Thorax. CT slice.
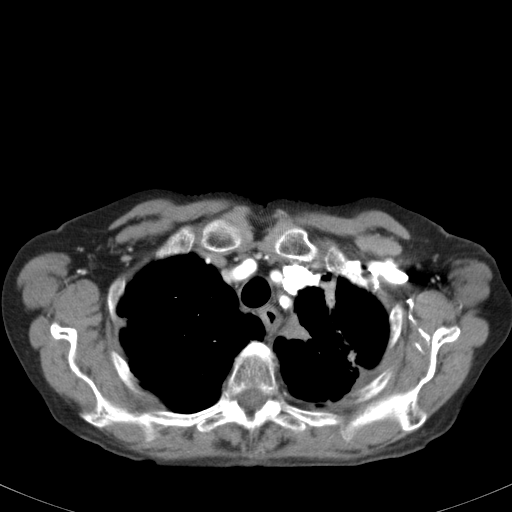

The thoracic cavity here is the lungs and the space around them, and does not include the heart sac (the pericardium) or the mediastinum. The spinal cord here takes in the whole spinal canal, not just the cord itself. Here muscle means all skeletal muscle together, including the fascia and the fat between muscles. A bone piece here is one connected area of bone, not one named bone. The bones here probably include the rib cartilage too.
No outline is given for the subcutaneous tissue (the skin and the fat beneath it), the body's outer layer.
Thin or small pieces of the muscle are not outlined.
{"mediastinum":[[[255,248],[274,256],[323,266],[326,270],[317,286],[298,291],[293,302],[293,314],[273,341],[271,348],[279,364],[278,380],[274,378],[271,349],[264,342],[265,328],[261,320],[252,313],[244,313],[239,309],[234,290],[218,270],[196,252],[247,251]]],"bones":[{"outer":[[53,322],[76,330],[77,366],[129,411],[213,405],[235,357],[256,340],[269,347],[289,403],[342,421],[295,432],[268,420],[252,435],[234,422],[208,431],[158,424],[149,440],[136,423],[97,427],[80,417],[96,397],[70,369],[70,344],[52,336]],"hole":[[249,389],[256,389],[258,391],[259,391],[264,396],[265,396],[265,400],[263,402],[262,405],[258,409],[255,410],[251,414],[248,414],[246,412],[246,411],[240,405],[239,403],[239,400],[238,399],[238,396],[240,394],[241,394],[244,391],[246,391]]},[[454,325],[459,327],[458,337],[438,349],[435,372],[417,396],[417,405],[427,414],[424,423],[416,429],[404,431],[395,419],[388,417],[355,429],[347,438],[343,434],[345,426],[368,403],[393,393],[406,392],[418,383],[428,369],[431,335],[441,326]],[[222,216],[224,217],[231,217],[238,221],[241,226],[242,232],[245,237],[245,241],[244,241],[237,248],[232,250],[229,250],[228,251],[208,251],[204,249],[200,245],[200,239],[202,237],[202,229],[204,225],[208,221],[214,218],[221,217]],[[292,225],[298,225],[304,228],[308,232],[310,240],[314,244],[315,244],[319,249],[319,252],[321,254],[320,258],[317,260],[313,261],[311,263],[310,262],[302,262],[296,259],[281,256],[274,251],[273,242],[276,235],[277,235],[286,227],[288,227]],[[332,245],[334,245],[338,248],[349,258],[356,270],[365,279],[366,282],[368,283],[368,286],[374,293],[372,293],[370,291],[368,291],[351,283],[344,276],[338,274],[334,271],[330,271],[326,269],[326,265],[324,261],[324,254],[327,252],[328,249]],[[183,226],[190,226],[190,227],[195,234],[195,240],[192,246],[193,250],[184,254],[178,254],[177,255],[169,256],[168,257],[166,257],[162,259],[157,259],[156,258],[156,252],[162,246],[162,245],[167,239],[167,238],[172,233],[173,233],[179,228]],[[123,273],[125,276],[126,285],[125,286],[124,292],[120,298],[116,307],[116,313],[117,314],[117,327],[113,322],[109,312],[109,308],[107,303],[107,294],[108,293],[108,288],[111,282],[116,277],[117,277],[120,274],[122,274]],[[396,302],[398,302],[401,305],[402,309],[403,310],[403,316],[402,317],[401,331],[394,345],[386,353],[385,353],[385,350],[386,349],[386,346],[387,345],[387,343],[388,342],[388,338],[389,337],[389,320],[388,319],[388,314],[391,310],[392,307]],[[111,350],[114,350],[116,352],[117,352],[124,359],[126,360],[129,366],[129,368],[130,370],[138,380],[138,384],[139,385],[139,387],[138,387],[136,389],[131,389],[129,388],[120,378],[114,367],[114,365],[111,359],[111,356],[110,355],[110,351]],[[387,369],[389,369],[391,371],[392,374],[384,389],[378,394],[377,394],[375,396],[373,396],[368,400],[366,400],[365,401],[361,401],[360,402],[357,402],[356,401],[356,399],[358,395],[356,394],[361,389],[371,384],[374,381],[375,378],[379,374]]],"torso":[[[147,188],[190,194],[230,190],[261,203],[283,197],[321,204],[363,196],[391,200],[479,243],[494,257],[511,291],[511,330],[451,427],[424,448],[401,457],[355,466],[208,468],[159,466],[114,454],[53,418],[9,343],[0,296],[10,263],[30,238]]],"thoracic_cavity":[[[192,251],[211,264],[233,290],[238,309],[260,320],[264,328],[264,337],[263,341],[250,340],[234,357],[220,395],[213,404],[194,412],[177,412],[168,409],[155,395],[142,387],[131,370],[120,343],[117,307],[127,283],[144,266],[155,260]],[[326,271],[340,275],[351,284],[370,292],[381,303],[388,320],[388,337],[383,353],[385,356],[373,381],[340,405],[315,408],[297,406],[286,399],[287,392],[278,378],[280,364],[272,347],[278,333],[289,323],[294,314],[294,302],[299,291],[317,287]]],"spinal_cord":[[[249,389],[256,389],[258,391],[259,391],[264,396],[265,396],[265,400],[263,402],[262,405],[258,409],[255,410],[251,414],[248,414],[246,412],[246,411],[240,405],[239,403],[239,400],[238,399],[238,396],[240,394],[241,394],[244,391],[246,391]]],"muscle":[[[161,197],[178,204],[226,198],[265,213],[381,210],[411,235],[398,260],[411,291],[440,289],[456,259],[489,266],[481,312],[488,336],[460,387],[428,418],[419,393],[436,372],[439,349],[461,332],[456,324],[435,329],[417,383],[371,400],[343,428],[349,439],[390,418],[411,432],[376,453],[166,460],[124,448],[97,428],[113,423],[141,426],[146,441],[158,425],[208,432],[234,423],[250,436],[268,421],[295,433],[339,425],[338,413],[300,407],[378,395],[393,373],[375,376],[402,331],[402,305],[396,301],[388,313],[334,244],[323,254],[325,267],[314,265],[319,247],[292,224],[273,239],[280,256],[236,250],[246,241],[241,224],[217,216],[201,229],[205,250],[194,250],[196,234],[183,225],[156,259],[127,282],[120,273],[107,288],[127,358],[111,349],[113,367],[129,389],[140,385],[166,408],[132,411],[110,401],[76,362],[77,330],[49,325],[55,340],[68,342],[69,369],[95,397],[94,408],[78,415],[42,373],[17,277],[31,258],[63,252],[76,278],[104,292],[123,267],[108,226]]]}